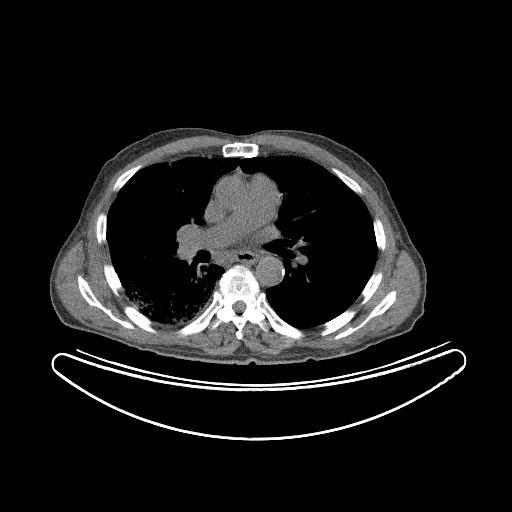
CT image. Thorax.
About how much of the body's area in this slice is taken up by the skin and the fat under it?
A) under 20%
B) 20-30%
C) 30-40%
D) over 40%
A) under 20%
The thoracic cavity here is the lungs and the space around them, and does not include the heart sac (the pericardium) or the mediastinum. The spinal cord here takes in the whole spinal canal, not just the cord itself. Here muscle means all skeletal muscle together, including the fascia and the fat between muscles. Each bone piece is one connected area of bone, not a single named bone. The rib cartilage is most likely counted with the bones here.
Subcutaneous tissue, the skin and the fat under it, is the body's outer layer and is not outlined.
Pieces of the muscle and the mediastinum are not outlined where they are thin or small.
The muscle is outlined by 263,134 285,135 325,149 353,169 381,198 397,248 405,249 411,256 420,278 417,303 395,329 353,346 302,355 264,356 242,347 223,356 143,345 88,326 66,309 55,286 59,263 88,228 111,177 159,146 208,135 234,140 221,146 221,155 183,155 145,166 138,163 116,178 112,186 117,193 115,198 107,213 97,215 96,241 107,244 111,260 103,264 103,274 115,296 124,290 131,305 122,309 130,321 119,318 101,303 82,275 76,277 82,297 125,328 134,329 135,325 156,334 153,324 158,323 179,328 175,331 179,337 232,322 234,335 241,340 248,321 266,333 272,329 299,340 305,336 302,329 320,326 319,334 325,336 347,324 357,313 350,306 358,297 364,305 383,278 380,269 374,270 378,250 386,248 383,223 377,216 372,218 360,196 364,191 359,183 338,168 332,166 330,171 299,155 259,155 257,143 242,141; inner edge: 392,290 394,290 396,292 396,294 395,295 395,301 383,313 372,317 363,326 357,329 352,333 346,336 341,337 338,339 335,339 334,338 337,334 346,330 349,327 355,327 362,322 373,308 377,305 390,291. The pericardium is outlined by 237,171 245,174 263,173 267,175 276,183 278,189 283,194 282,199 277,217 273,224 273,228 265,239 253,244 240,245 235,247 218,247 210,242 204,231 206,228 204,213 212,196 214,186 218,180 223,176. The spinal cord is outlined by 237,301 242,301 245,304 245,308 244,309 244,310 243,311 242,311 241,312 237,312 236,311 235,311 233,309 233,304 234,303 235,303. The thoracic cavity is outlined by 270,155 319,164 366,206 376,260 349,307 301,329 273,309 265,292 286,270 269,245 280,236 285,194 239,163 214,183 199,226 199,248 224,271 209,304 181,327 132,305 106,236 121,188 140,169 178,157. The mediastinum appears in 2 outlined pieces: piece 1: 205,222 203,231 209,242 218,248 235,248 257,244 270,235 275,222 279,236 268,247 283,259 285,272 282,281 263,291 253,272 247,266 234,264 224,270 222,267 210,263 209,254 200,248 202,243 200,226; piece 2: 239,164 240,165 240,167 241,168 241,169 242,170 242,171 241,171 240,170 237,170 236,171 234,171 232,173 228,173 225,175 223,175 224,174 226,174 227,173 228,173 229,172 230,172 232,170 233,170. The bones appear in 11 outlined pieces: piece 1: 234,265 245,266 252,272 272,309 285,322 301,330 303,337 286,337 272,328 266,332 248,320 242,328 241,339 236,337 237,328 232,321 221,322 214,329 207,327 197,333 177,334 178,329 206,309 222,274, around a hole outlined by 237,301 242,301 245,304 245,308 244,309 244,310 243,311 242,311 241,312 237,312 236,311 235,311 233,309 233,304 234,303 235,303; piece 2: 79,275 87,282 100,303 109,309 116,317 130,322 130,319 123,309 126,305 133,306 153,322 152,326 157,332 153,333 147,331 135,324 133,325 134,328 125,327 110,318 98,307 90,305 79,290 77,281; piece 3: 392,290 394,290 396,292 396,294 395,295 395,301 383,313 372,317 363,326 357,329 352,333 346,336 341,337 338,339 335,339 334,338 337,334 346,330 349,327 355,327 362,322 373,308 377,305 390,291; piece 4: 235,141 251,142 252,143 255,143 257,144 259,146 259,153 258,155 257,156 253,156 252,157 242,157 241,156 229,156 228,157 224,157 222,155 222,152 221,151 221,148 222,146 227,143 231,143; piece 5: 348,308 350,308 351,309 353,309 355,310 356,311 356,313 354,315 354,316 347,323 346,323 340,328 339,328 337,330 333,332 331,332 325,335 321,335 320,334 320,332 322,329 322,327 320,325 336,317; piece 6: 379,270 380,270 382,272 382,278 377,288 372,294 370,298 364,304 361,304 360,303 362,300 362,297 361,296 359,296 362,290 364,288 365,285 367,283 369,278 371,276 373,272 374,271 378,271; piece 7: 106,263 111,263 112,264 120,280 120,282 122,285 123,290 120,290 119,291 119,296 117,296 114,294 113,291 109,286 106,280 106,278 104,274 104,270 103,269 103,266 104,264; piece 8: 102,212 104,212 107,214 107,217 106,218 106,228 105,229 105,236 106,237 106,243 101,243 100,244 99,244 97,241 97,237 96,236 96,223 97,222 97,218 98,217 98,215 100,213 101,213; piece 9: 376,217 377,217 381,221 381,222 382,223 382,225 383,226 384,233 385,234 385,248 383,250 378,249 378,248 377,247 377,244 376,243 376,238 375,237 375,233 374,232 374,228 373,227 373,219; piece 10: 138,164 142,164 142,165 143,166 141,168 140,168 120,188 120,189 117,192 114,191 113,190 113,186 114,185 114,184 115,183 117,178 122,173 123,173 128,169 129,169 130,168 131,168 132,167 133,167; piece 11: 332,167 334,167 338,169 340,171 341,171 343,173 344,173 346,175 347,175 349,177 350,177 352,179 356,181 361,187 363,191 363,193 359,195 351,188 350,188 339,177 338,177 331,171 331,168. The torso is outlined by 177,127 201,127 232,134 268,129 301,130 329,137 365,158 384,180 426,267 424,313 412,329 341,357 289,364 256,365 252,361 237,365 162,356 63,324 50,300 50,272 102,165 128,144 153,132.